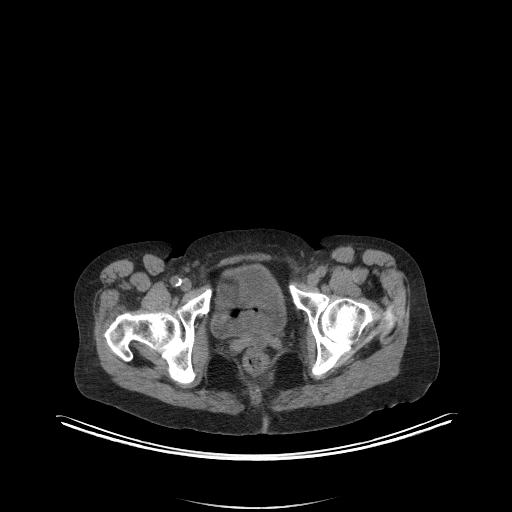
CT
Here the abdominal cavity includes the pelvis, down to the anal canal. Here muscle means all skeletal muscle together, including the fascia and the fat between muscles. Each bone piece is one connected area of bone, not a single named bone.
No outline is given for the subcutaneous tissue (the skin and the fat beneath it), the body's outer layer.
Outlines (x, y in pixels):
torso: (255, 227) (294, 233) (315, 248) (330, 234) (377, 236) (414, 258) (423, 275) (440, 348) (438, 375) (422, 397) (338, 427) (235, 436) (157, 425) (78, 390) (73, 376) (78, 347) (73, 291) (90, 261) (112, 247) (144, 240) (169, 242) (176, 257) (204, 235)
muscle: (349, 243) (363, 243) (386, 250) (395, 257) (398, 268) (408, 280) (410, 316) (407, 342) (399, 373) (389, 381) (338, 402) (279, 412) (265, 405) (251, 406) (249, 399) (245, 397) (244, 410) (233, 415) (172, 405) (126, 389) (116, 384) (99, 363) (93, 338) (92, 309) (95, 293) (101, 286) (99, 274) (113, 261) (145, 252) (154, 252) (163, 258) (170, 271) (192, 274) (207, 263) (234, 254) (251, 252) (287, 255) (300, 264) (308, 264) (327, 252); inner edges: (246, 260) (284, 262) (288, 282) (303, 291) (320, 292) (332, 300) (348, 297) (375, 310) (391, 306) (396, 320) (388, 333) (379, 319) (370, 322) (350, 350) (319, 377) (311, 372) (317, 346) (308, 316) (294, 305) (297, 346) (280, 349) (257, 380) (245, 375) (236, 358) (209, 342) (208, 313) (194, 320) (195, 377) (186, 384) (173, 380) (166, 360) (144, 343) (129, 343) (129, 361) (107, 344) (103, 334) (118, 315) (173, 314) (211, 286) (210, 273), then (289, 353) (294, 354) (299, 360) (302, 366) (301, 373) (303, 381) (301, 383) (298, 383) (287, 388) (277, 389) (275, 393) (269, 395) (268, 400) (265, 402) (265, 398) (263, 395) (264, 392) (267, 393) (268, 389) (271, 388) (275, 382) (275, 374) (280, 359) (281, 357), then (215, 356) (220, 356) (232, 364) (233, 367) (236, 371) (235, 375) (239, 382) (243, 386) (243, 388) (242, 389) (238, 390) (237, 391) (231, 391) (230, 390) (227, 390) (226, 389) (211, 389) (209, 388) (208, 386) (208, 370) (209, 369) (209, 364) (211, 360)
bones 1: (208, 287) (212, 288) (209, 311) (198, 314) (193, 324) (191, 364) (195, 377) (191, 382) (181, 384) (173, 380) (169, 376) (166, 360) (142, 342) (132, 340) (129, 343) (133, 354) (129, 361) (116, 355) (107, 344) (103, 334) (118, 315) (156, 311) (173, 314) (179, 306)
bones 2: (289, 283) (303, 291) (323, 293) (332, 300) (337, 297) (348, 297) (368, 304) (375, 310) (383, 311) (391, 306) (396, 316) (395, 324) (385, 334) (384, 324) (379, 319) (370, 322) (335, 366) (317, 377) (311, 372) (317, 357) (316, 341) (306, 312) (297, 308) (292, 301)
abdominal cavity: (246, 260) (277, 261) (287, 265) (287, 289) (294, 313) (299, 319) (297, 346) (285, 346) (280, 349) (273, 356) (270, 367) (257, 380) (252, 380) (245, 375) (241, 363) (236, 358) (209, 342) (206, 327) (213, 294) (213, 288) (208, 278) (210, 273) (220, 267)